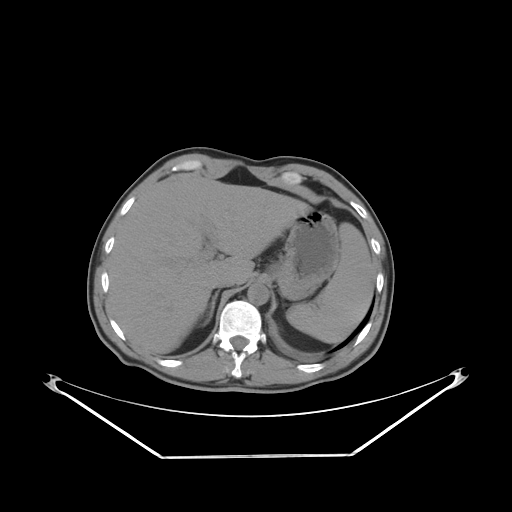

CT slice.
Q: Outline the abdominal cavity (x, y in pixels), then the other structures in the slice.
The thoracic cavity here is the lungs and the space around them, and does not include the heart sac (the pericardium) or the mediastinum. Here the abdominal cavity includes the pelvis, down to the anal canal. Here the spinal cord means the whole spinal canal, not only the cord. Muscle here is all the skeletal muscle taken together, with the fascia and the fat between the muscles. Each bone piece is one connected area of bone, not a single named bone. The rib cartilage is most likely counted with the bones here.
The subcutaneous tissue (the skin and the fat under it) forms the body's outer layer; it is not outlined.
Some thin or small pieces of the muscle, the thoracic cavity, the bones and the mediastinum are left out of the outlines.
A: {"abdominal_cavity":[[[237,167],[271,186],[301,183],[353,209],[374,254],[374,300],[347,338],[329,351],[302,355],[276,340],[266,318],[272,292],[255,280],[227,300],[206,347],[178,359],[152,355],[126,338],[108,307],[108,260],[120,223],[168,173],[200,170],[219,178]]],"bones":[{"outer":[[233,300],[247,301],[258,310],[262,320],[262,329],[266,333],[267,338],[264,344],[259,341],[257,350],[243,359],[240,365],[240,378],[236,378],[231,374],[235,363],[230,352],[221,349],[217,343],[212,343],[213,335],[219,327],[220,314],[224,306]],"hole":[[235,336],[242,336],[244,338],[245,338],[246,339],[247,339],[248,340],[248,342],[240,350],[237,350],[236,349],[235,349],[235,348],[233,346],[233,345],[231,343],[231,342],[230,341],[230,339],[232,337],[234,337]]},[[194,159],[199,160],[202,163],[202,166],[200,168],[199,168],[198,169],[190,169],[189,170],[178,170],[177,171],[171,171],[170,170],[170,169],[172,166],[173,166],[178,163],[180,163],[181,162],[182,162],[183,161],[185,161],[186,160],[193,160]],[[288,171],[290,171],[291,172],[296,172],[297,173],[298,173],[300,175],[301,175],[302,176],[302,177],[303,178],[303,180],[300,183],[297,183],[296,184],[286,184],[285,183],[284,183],[280,179],[280,176],[284,172],[287,172]],[[320,362],[322,362],[323,363],[324,363],[324,366],[321,369],[320,369],[317,371],[314,371],[313,372],[305,372],[304,371],[303,371],[302,370],[300,370],[297,368],[297,365],[298,364],[301,364],[302,363],[303,364],[308,364],[309,363],[319,363]],[[369,320],[370,320],[371,321],[371,326],[370,327],[368,332],[366,334],[366,335],[364,337],[364,338],[358,344],[357,344],[355,346],[354,345],[355,338],[357,336],[357,335],[359,333],[359,332],[363,328],[363,327],[367,323],[367,322]],[[157,358],[159,358],[160,359],[167,359],[168,360],[181,360],[182,361],[182,363],[180,365],[179,365],[178,366],[176,366],[175,367],[168,367],[167,366],[164,366],[163,365],[161,365],[160,364],[159,364],[156,361],[156,359]],[[350,201],[353,201],[354,202],[359,204],[361,206],[362,206],[367,211],[367,212],[368,213],[368,217],[367,218],[363,218],[361,216],[360,216],[359,215],[359,214],[354,209],[354,208],[353,207],[352,207],[350,205],[350,204],[349,203],[349,202]],[[133,196],[134,196],[135,197],[135,200],[133,202],[133,203],[132,204],[132,205],[130,207],[130,208],[127,211],[127,212],[125,214],[124,214],[123,215],[121,215],[119,213],[119,211],[120,210],[120,208],[121,207],[121,206],[129,198],[130,198]],[[110,318],[112,318],[117,323],[117,324],[119,326],[119,327],[123,332],[123,334],[125,336],[125,340],[123,340],[120,337],[119,337],[118,336],[118,335],[115,332],[115,331],[111,326],[111,324],[110,323],[110,321],[109,320],[110,319]],[[103,271],[106,271],[107,272],[107,275],[108,276],[108,281],[109,282],[109,283],[108,284],[108,289],[107,290],[107,292],[104,292],[103,291],[103,289],[102,288],[102,285],[101,284],[101,274],[102,273],[102,272]],[[379,272],[381,272],[382,273],[382,274],[383,275],[383,284],[382,285],[382,288],[381,289],[381,291],[380,292],[377,292],[377,291],[376,290],[376,276],[377,275],[377,274]],[[371,238],[374,238],[376,240],[377,240],[378,241],[378,242],[379,243],[379,245],[380,246],[380,252],[378,254],[376,254],[375,253],[374,253],[374,252],[372,250],[372,248],[371,247],[371,246],[370,245],[370,239]],[[111,236],[113,236],[114,237],[114,241],[113,242],[113,246],[112,247],[112,248],[111,249],[111,250],[110,251],[110,252],[109,253],[106,253],[105,252],[105,250],[104,249],[104,246],[105,245],[105,243],[106,242],[106,241]]],"spinal_cord":[[[235,336],[242,336],[244,338],[245,338],[246,339],[247,339],[248,340],[248,342],[240,350],[237,350],[236,349],[235,349],[235,348],[233,346],[233,345],[231,343],[231,342],[230,341],[230,339],[232,337],[234,337]]],"muscle":[[[356,212],[363,219],[367,219],[369,213],[372,217],[384,241],[389,270],[384,314],[372,343],[348,365],[311,380],[265,386],[246,384],[241,378],[241,365],[248,355],[258,350],[259,342],[264,345],[268,339],[285,357],[301,362],[296,365],[298,370],[313,373],[325,366],[322,361],[354,339],[355,347],[369,332],[376,292],[380,293],[384,284],[383,273],[376,274],[374,255],[381,252],[381,246],[374,237],[368,239]],[[119,208],[118,213],[123,217],[115,236],[111,235],[104,243],[104,252],[109,255],[107,271],[103,270],[100,274],[101,288],[107,294],[111,316],[108,320],[114,332],[123,341],[127,339],[140,350],[159,357],[155,361],[168,368],[180,366],[183,361],[179,359],[191,357],[210,342],[217,344],[221,350],[229,352],[234,363],[230,374],[235,378],[210,384],[176,377],[127,355],[106,335],[94,307],[94,274],[102,238]],[[189,153],[236,159],[252,166],[280,166],[289,163],[312,166],[329,173],[341,182],[363,203],[366,209],[353,200],[350,200],[348,205],[331,188],[317,181],[303,181],[303,176],[296,171],[284,171],[279,179],[288,185],[276,186],[268,184],[241,166],[234,167],[222,176],[212,177],[199,169],[203,163],[196,158],[186,159],[172,165],[169,169],[171,172],[150,183],[137,198],[133,195],[122,204],[137,185],[166,161]]],"mediastinum":[[[255,281],[263,282],[271,292],[271,303],[269,306],[269,309],[267,310],[267,312],[265,314],[265,317],[263,321],[262,316],[259,310],[252,303],[249,302],[247,300],[244,299],[233,299],[230,301],[228,301],[233,294],[240,292],[248,287],[252,282]],[[305,181],[310,181],[311,182],[317,182],[331,189],[336,194],[337,194],[347,204],[347,205],[341,202],[337,198],[335,198],[332,196],[329,196],[328,195],[324,195],[323,194],[316,194],[314,193],[308,187],[307,187],[302,183],[302,182],[304,182]]],"torso":[[[191,146],[213,147],[254,159],[280,155],[311,158],[339,171],[362,193],[387,234],[395,271],[388,327],[370,359],[343,377],[300,390],[213,392],[175,385],[140,368],[128,366],[102,343],[86,303],[87,269],[96,236],[117,199],[146,168],[171,151]]],"thoracic_cavity":[[[373,303],[369,319],[356,336],[344,346],[332,353],[329,357],[319,362],[303,363],[301,361],[296,361],[285,356],[269,340],[267,333],[263,329],[263,322],[265,318],[270,326],[275,340],[289,352],[302,356],[323,354],[331,351],[354,332],[368,313]]]}